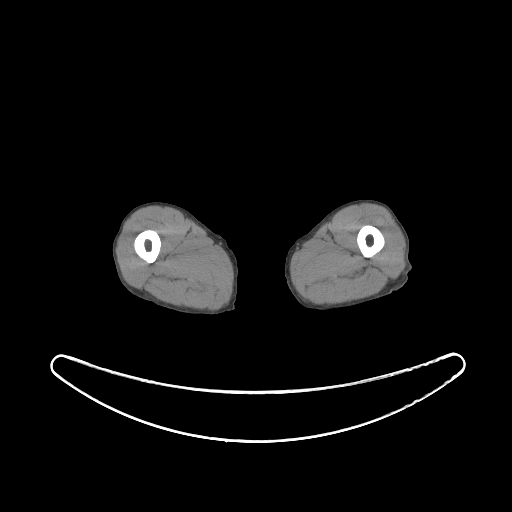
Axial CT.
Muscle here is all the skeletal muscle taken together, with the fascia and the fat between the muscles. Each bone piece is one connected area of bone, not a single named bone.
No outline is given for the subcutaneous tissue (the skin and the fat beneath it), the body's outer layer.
The left leg is outlined by [[363,198],[375,199],[387,204],[405,228],[409,238],[408,257],[412,266],[408,273],[406,283],[401,288],[388,295],[349,307],[330,310],[316,310],[308,309],[302,306],[289,290],[284,275],[285,258],[289,248],[296,239],[305,234],[331,210],[348,201]]. The bones appear in 2 outlined pieces: piece 1: [[146,229],[153,229],[154,230],[156,230],[157,231],[157,233],[161,241],[161,246],[160,247],[160,250],[159,251],[159,253],[156,259],[151,263],[148,263],[143,259],[139,257],[135,252],[134,250],[134,246],[133,245],[135,237],[140,232]]; piece 2: [[366,224],[372,225],[376,227],[378,229],[379,229],[384,237],[384,245],[383,247],[372,257],[365,257],[361,253],[358,247],[357,241],[356,240],[357,238],[357,234],[358,233],[358,231],[360,229],[361,226],[365,225]]. The muscle appears in 2 outlined pieces: piece 1: [[150,205],[167,206],[180,211],[185,217],[192,220],[209,236],[220,244],[228,255],[233,270],[232,291],[228,304],[216,310],[194,309],[182,306],[175,306],[158,300],[145,291],[132,287],[124,280],[117,261],[115,250],[117,240],[126,220],[138,209]] with a hole at [[146,229],[153,229],[154,230],[156,230],[157,231],[157,233],[161,241],[161,246],[160,247],[160,250],[159,251],[159,253],[156,259],[151,263],[148,263],[143,259],[139,257],[135,252],[134,250],[134,246],[133,245],[135,237],[140,232]]; piece 2: [[360,203],[373,203],[384,207],[399,227],[405,240],[405,267],[403,271],[396,279],[390,281],[378,293],[365,298],[331,305],[319,305],[304,300],[295,289],[291,280],[290,260],[292,255],[297,247],[311,238],[324,223],[331,219],[335,213],[347,206]], around a hole outlined by [[366,224],[372,225],[376,227],[378,229],[379,229],[384,237],[384,245],[383,247],[372,257],[365,257],[361,253],[358,247],[357,241],[356,240],[357,238],[357,234],[358,233],[358,231],[360,229],[361,226],[365,225]]. The right leg is outlined by [[150,201],[168,202],[186,209],[212,231],[219,234],[225,239],[228,246],[233,251],[236,257],[238,267],[235,308],[232,311],[215,315],[182,313],[158,306],[149,301],[141,299],[130,293],[122,285],[116,273],[112,257],[112,241],[123,217],[133,207]].